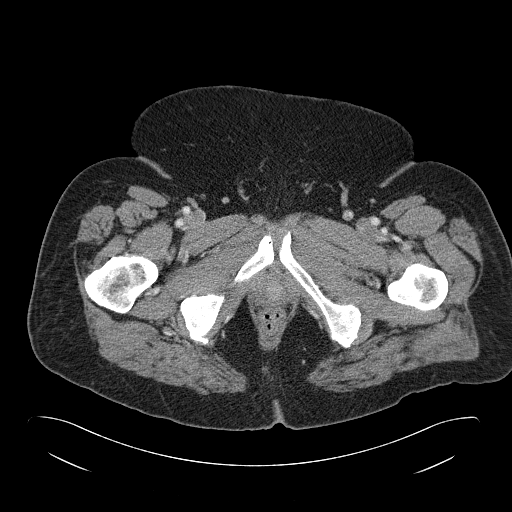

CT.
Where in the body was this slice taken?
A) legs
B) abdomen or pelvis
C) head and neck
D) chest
Answer: B) abdomen or pelvis
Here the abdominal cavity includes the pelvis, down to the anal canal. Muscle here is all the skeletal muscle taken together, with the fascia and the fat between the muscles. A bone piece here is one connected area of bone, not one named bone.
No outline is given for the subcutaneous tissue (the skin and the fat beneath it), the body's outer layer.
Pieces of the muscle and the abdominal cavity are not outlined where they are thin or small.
The bones appear in 5 outlined pieces: piece 1: (124, 254) (136, 254) (150, 259) (157, 265) (159, 273) (156, 281) (150, 287) (147, 288) (141, 293) (135, 300) (131, 308) (126, 313) (122, 314) (100, 306) (93, 301) (88, 296) (86, 292) (84, 286) (84, 279) (89, 273) (100, 267) (112, 256) (123, 255); piece 2: (288, 230) (291, 234) (290, 247) (293, 256) (311, 276) (321, 291) (334, 302) (340, 304) (352, 303) (359, 308) (361, 312) (361, 323) (357, 332) (357, 337) (349, 347) (344, 348) (330, 338) (329, 328) (321, 310) (280, 261) (278, 251) (281, 244) (281, 239) (283, 234); piece 3: (413, 263) (422, 263) (428, 266) (436, 267) (443, 271) (446, 276) (448, 283) (447, 294) (440, 305) (434, 309) (423, 311) (417, 309) (413, 306) (410, 306) (393, 301) (389, 298) (387, 294) (387, 286) (392, 281) (395, 279) (397, 279) (402, 274) (405, 268) (408, 265); piece 4: (207, 293) (213, 293) (218, 295) (219, 294) (224, 294) (225, 299) (220, 307) (216, 320) (207, 335) (209, 338) (209, 342) (208, 344) (204, 345) (199, 342) (195, 342) (189, 337) (189, 333) (186, 328) (184, 319) (179, 310) (179, 306) (181, 301) (191, 294) (204, 295); piece 5: (266, 234) (270, 234) (272, 237) (272, 245) (273, 246) (273, 250) (274, 251) (274, 259) (273, 260) (273, 262) (258, 271) (248, 280) (244, 281) (239, 284) (236, 284) (234, 283) (233, 282) (233, 279) (240, 269) (241, 266) (257, 249) (257, 247) (260, 240) (262, 237). The muscle is outlined by (117, 183) (150, 186) (212, 206) (271, 217) (293, 212) (330, 215) (387, 204) (406, 194) (427, 194) (452, 202) (470, 220) (483, 257) (479, 283) (468, 299) (480, 353) (473, 360) (436, 362) (377, 385) (337, 394) (314, 388) (305, 379) (328, 350) (323, 334) (309, 313) (300, 305) (277, 349) (264, 352) (243, 299) (220, 332) (215, 348) (248, 376) (251, 386) (244, 392) (202, 395) (111, 364) (91, 345) (75, 275) (72, 242) (83, 208) (91, 198) with holes at (266, 234) (270, 234) (272, 237) (274, 251) (273, 262) (268, 266) (283, 269) (295, 292) (293, 306) (281, 324) (275, 339) (271, 342) (266, 340) (261, 331) (250, 295) (250, 288) (260, 273) (257, 272) (248, 280) (239, 284) (233, 282) (241, 266) (257, 249) (260, 240) and at (124, 254) (136, 254) (150, 259) (157, 265) (159, 273) (156, 281) (150, 287) (147, 288) (141, 293) (135, 300) (131, 308) (126, 313) (122, 314) (100, 306) (93, 301) (88, 296) (86, 292) (84, 286) (84, 279) (89, 273) (100, 267) (112, 256) (123, 255) and at (288, 230) (291, 234) (290, 247) (293, 256) (311, 276) (321, 291) (334, 302) (340, 304) (352, 303) (359, 308) (361, 312) (361, 323) (357, 332) (357, 337) (349, 347) (344, 348) (330, 338) (329, 328) (321, 310) (280, 261) (278, 251) (281, 244) (281, 239) (283, 234) and at (413, 263) (422, 263) (428, 266) (436, 267) (443, 271) (446, 276) (448, 283) (447, 294) (440, 305) (434, 309) (423, 311) (417, 309) (413, 306) (410, 306) (393, 301) (389, 298) (387, 294) (387, 286) (392, 281) (395, 279) (397, 279) (402, 274) (405, 268) (408, 265) and at (207, 293) (213, 293) (218, 295) (219, 294) (224, 294) (225, 299) (220, 307) (216, 320) (207, 335) (209, 338) (209, 342) (208, 344) (204, 345) (199, 342) (195, 342) (189, 337) (189, 333) (186, 328) (184, 319) (179, 310) (179, 306) (181, 301) (191, 294) (204, 295). The abdominal cavity is outlined by (268, 266) (270, 268) (276, 267) (283, 269) (287, 277) (289, 278) (295, 292) (295, 300) (293, 306) (281, 324) (275, 339) (271, 342) (266, 340) (261, 331) (260, 325) (258, 323) (252, 305) (252, 299) (250, 295) (250, 288) (256, 277) (260, 273) (258, 272). The torso is outlined by (218, 84) (376, 110) (408, 130) (415, 160) (439, 161) (469, 175) (486, 195) (511, 253) (511, 371) (494, 382) (413, 392) (388, 408) (329, 425) (232, 431) (142, 413) (44, 367) (32, 351) (26, 318) (40, 246) (62, 192) (87, 166) (136, 153) (130, 134) (148, 105).